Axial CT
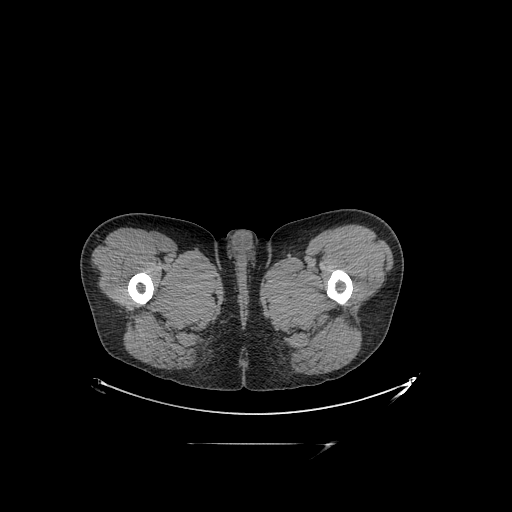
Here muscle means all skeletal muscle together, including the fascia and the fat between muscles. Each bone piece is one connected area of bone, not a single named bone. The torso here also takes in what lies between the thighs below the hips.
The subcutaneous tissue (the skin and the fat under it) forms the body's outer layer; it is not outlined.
The torso is outlined by 238 228; 249 229; 259 237; 266 238; 266 261; 261 271; 258 295; 262 306; 262 312; 271 331; 278 357; 279 391; 253 392; 244 387; 238 391; 208 390; 216 375; 227 326; 229 307; 229 291; 219 263; 216 238; 223 237; 230 230. The right leg is outlined by 130 212; 154 213; 188 220; 204 227; 215 238; 218 263; 228 291; 228 307; 226 326; 215 375; 207 390; 183 386; 170 380; 160 379; 140 369; 125 364; 109 355; 99 340; 81 282; 79 268; 80 253; 87 236; 98 224; 115 215. The left leg is outlined by 346 207; 366 210; 379 216; 390 225; 400 242; 404 259; 403 278; 389 329; 380 346; 363 363; 340 378; 328 380; 316 386; 280 390; 279 357; 272 331; 263 312; 259 295; 262 271; 267 261; 267 239; 278 227; 285 223; 328 210. The bones appear in 2 outlined pieces: piece 1: 334 269; 342 269; 343 270; 344 270; 349 275; 349 276; 352 280; 353 289; 352 290; 352 292; 351 293; 351 296; 344 305; 341 305; 337 302; 336 302; 334 300; 329 298; 326 294; 326 287; 327 286; 327 281; 331 274; 331 272; piece 2: 142 271; 144 271; 146 272; 150 276; 152 280; 153 285; 154 286; 154 291; 153 292; 152 297; 146 303; 142 305; 139 305; 137 303; 136 303; 129 295; 127 291; 127 285; 128 284; 128 281; 129 279; 134 274; 138 272; 141 272. The muscle appears in 2 outlined pieces: piece 1: 348 223; 369 227; 383 239; 392 252; 393 267; 387 274; 384 285; 360 308; 359 316; 363 339; 358 354; 343 367; 327 373; 293 374; 285 364; 279 346; 266 324; 259 299; 261 279; 278 260; 286 257; 300 258; 312 237; 323 230, around a hole outlined by 334 269; 342 269; 343 270; 344 270; 349 275; 349 276; 352 280; 353 289; 352 290; 352 292; 351 293; 351 296; 344 305; 341 305; 337 302; 336 302; 334 300; 329 298; 326 294; 326 287; 327 286; 327 281; 331 274; 331 272; piece 2: 119 227; 161 232; 175 241; 179 252; 198 246; 206 251; 213 261; 222 280; 224 299; 221 311; 211 327; 203 361; 194 368; 157 368; 133 357; 125 350; 122 344; 125 320; 120 307; 101 292; 91 266; 91 255; 95 247; 109 232; inner edge: 142 271; 144 271; 146 272; 150 276; 152 280; 153 285; 154 286; 154 291; 153 292; 152 297; 146 303; 142 305; 139 305; 137 303; 136 303; 129 295; 127 291; 127 285; 128 284; 128 281; 129 279; 134 274; 138 272; 141 272.